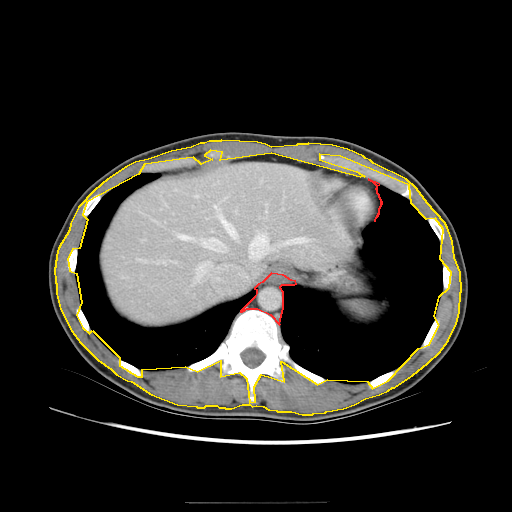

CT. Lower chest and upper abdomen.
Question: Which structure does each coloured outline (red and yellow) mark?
Answer: red: mediastinum; yellow: muscle.
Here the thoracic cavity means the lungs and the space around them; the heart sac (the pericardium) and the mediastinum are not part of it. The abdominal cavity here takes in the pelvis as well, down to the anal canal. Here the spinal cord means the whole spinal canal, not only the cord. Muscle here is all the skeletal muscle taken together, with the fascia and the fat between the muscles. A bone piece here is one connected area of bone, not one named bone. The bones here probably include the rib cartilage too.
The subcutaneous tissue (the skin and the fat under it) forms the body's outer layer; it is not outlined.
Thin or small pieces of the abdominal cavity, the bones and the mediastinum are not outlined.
The mediastinum appears in 2 outlined pieces: piece 1: 279,324 283,307 283,292 280,288 280,286 282,284 294,284 296,283 295,281 291,280 283,275 271,273 262,282 258,284 254,288 256,289 256,293 254,297 240,311 242,311 247,308 257,308 270,314; piece 2: 374,220 375,220 376,217 378,215 378,213 379,212 379,208 382,203 382,201 376,189 377,185 379,184 368,179 372,181 375,184 376,186 376,192 378,194 378,197 380,201 380,206 378,209 378,214 376,216. The muscle is outlined by 302,414 312,414 313,413 325,412 326,411 343,408 354,404 365,398 379,394 388,390 392,387 394,387 412,375 428,362 439,352 448,340 456,323 459,312 460,292 461,291 460,272 454,257 452,241 447,227 444,222 427,203 416,188 406,179 373,163 370,160 365,158 363,156 347,149 332,145 308,143 307,144 297,144 296,145 271,147 265,144 257,142 221,140 220,141 209,141 204,143 200,143 191,147 171,151 148,159 135,162 125,167 107,179 94,190 78,207 70,223 69,230 58,248 56,255 56,260 55,261 55,267 54,268 55,282 56,283 56,293 60,309 71,330 80,342 97,359 111,369 116,374 127,380 131,381 151,394 177,404 196,406 197,407 204,407 206,405 216,405 219,407 224,407 225,408 231,408 242,404 249,404 252,406 256,405 263,406 268,409 276,410 277,411 291,411, around a hole outlined by 249,402 255,401 254,386 261,374 284,381 281,361 317,384 327,379 367,381 372,388 388,380 418,348 429,344 439,325 434,316 439,296 449,287 451,272 440,259 443,229 435,218 426,219 411,203 409,185 340,156 319,154 319,159 356,171 364,176 360,177 271,153 220,160 222,152 210,150 204,155 212,159 201,164 193,157 144,164 138,174 86,202 82,214 87,219 79,248 72,249 67,258 69,270 76,273 81,302 76,315 82,327 89,333 92,330 119,357 119,365 137,376 142,376 142,369 185,366 197,371 220,360 220,376 239,372 246,378. The spinal cord is outlined by 251,368 253,368 254,367 257,366 263,360 263,359 265,356 264,355 264,354 261,351 260,351 258,349 257,349 256,348 248,348 247,349 244,350 241,353 241,358 242,359 242,360 247,366 248,366. The bones appear in 9 outlined pieces: piece 1: 249,402 255,401 254,386 261,374 284,381 281,361 314,383 326,381 290,357 289,346 281,336 279,325 270,315 257,309 238,313 218,347 206,358 186,367 188,371 197,371 220,360 220,376 239,372 246,378, around a hole outlined by 251,368 253,368 254,367 257,366 263,360 263,359 265,356 264,355 264,354 261,351 260,351 258,349 257,349 256,348 248,348 247,349 244,350 241,353 241,358 242,359 242,360 247,366 248,366; piece 2: 409,199 412,195 412,191 409,185 393,176 388,175 381,171 368,168 360,163 356,163 340,156 324,155 323,154 318,155 319,159 322,160 328,165 333,165 338,168 344,168 356,171 362,174 365,177 380,183; piece 3: 139,172 159,172 163,170 173,169 174,168 177,168 178,167 190,166 191,165 194,165 197,162 197,159 193,157 178,157 177,158 169,159 168,160 164,160 163,161 150,162 149,163 144,164 141,166 139,169; piece 4: 419,350 422,350 423,349 424,349 429,344 429,343 435,335 435,333 436,332 436,331 438,328 438,326 439,325 439,319 437,317 435,317 435,318 434,319 434,320 433,321 427,334 425,336 421,345 419,347; piece 5: 370,388 372,388 373,387 378,386 379,385 382,384 387,380 388,380 394,374 394,373 395,372 395,369 394,369 391,371 389,371 382,375 380,375 379,376 376,377 374,379 369,381 367,383 367,384; piece 6: 86,217 90,213 90,212 93,209 93,208 96,205 96,204 100,200 100,199 102,196 100,194 96,194 95,195 94,195 93,196 92,196 86,202 86,203 84,205 84,206 82,209 82,214 84,216 85,216; piece 7: 439,240 442,240 444,238 444,234 443,233 443,229 442,228 442,227 441,226 440,223 435,218 434,218 433,217 428,217 427,220 428,221 429,224 431,226 432,229 436,234 436,235 437,236 437,237 439,239; piece 8: 137,376 142,376 142,372 141,371 141,370 140,370 138,368 135,367 133,365 132,365 131,364 130,364 129,363 128,363 121,359 118,359 117,360 117,362 122,368 123,368 127,372 128,372 133,375 136,375; piece 9: 89,333 90,332 91,332 91,329 89,326 89,324 88,323 88,322 87,321 87,320 86,319 81,308 79,306 76,308 76,315 77,316 77,317 78,318 78,320 81,324 82,327 87,332 88,332. The abdominal cavity is outlined by 143,327 188,321 241,297 271,272 327,293 352,323 377,322 390,302 387,294 375,295 379,280 360,255 361,234 344,228 317,197 318,177 331,169 271,153 212,159 160,172 119,204 100,243 99,269 116,313. The thoracic cavity appears in 2 outlined pieces: piece 1: 346,383 368,381 407,359 426,334 442,289 438,239 408,199 380,184 383,203 376,220 362,230 361,255 380,280 376,295 390,298 388,312 377,323 356,325 337,311 327,294 281,286 280,326 291,357 327,379; piece 2: 148,370 178,368 209,355 226,335 234,316 255,293 253,289 241,298 216,306 188,322 164,328 143,328 115,313 100,279 99,243 118,204 159,173 139,173 102,197 87,217 76,268 81,307 94,333 119,358. The pericardium is outlined by 356,232 360,231 370,221 373,220 377,214 379,201 377,194 375,192 375,186 372,182 365,178 346,174 336,170 327,170 319,177 316,189 318,197 320,198 322,204 326,206 327,209 336,217 344,227 347,227. The torso is outlined by 291,424 341,419 394,402 449,351 465,317 468,279 456,231 443,209 397,163 359,144 326,136 236,131 201,134 138,153 95,180 72,205 48,259 52,307 78,353 128,392 132,396 125,396 152,408 204,419.